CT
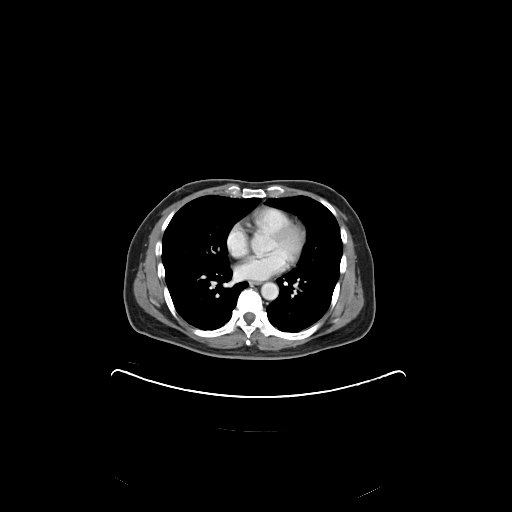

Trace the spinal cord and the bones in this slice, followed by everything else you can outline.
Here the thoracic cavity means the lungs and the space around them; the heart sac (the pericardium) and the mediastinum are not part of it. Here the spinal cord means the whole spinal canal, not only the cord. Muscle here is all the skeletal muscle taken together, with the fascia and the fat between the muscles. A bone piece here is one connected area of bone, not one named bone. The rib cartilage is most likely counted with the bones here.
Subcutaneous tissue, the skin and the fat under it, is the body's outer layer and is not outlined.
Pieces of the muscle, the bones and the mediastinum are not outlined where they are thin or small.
The spinal cord is outlined by (248, 312) (250, 312) (251, 313) (253, 313) (254, 314) (254, 318) (253, 319) (253, 320) (250, 323) (247, 323) (247, 322) (245, 320) (245, 319) (244, 318) (244, 315) (246, 313) (247, 313). The bones appear in 10 outlined pieces: piece 1: (245, 288) (259, 294) (268, 320) (281, 331) (298, 332) (319, 320) (322, 323) (309, 336) (294, 340) (265, 336) (256, 328) (250, 334) (250, 345) (246, 345) (246, 334) (238, 326) (230, 333) (214, 337) (199, 336) (192, 332) (192, 328) (213, 330) (230, 319) (238, 296) with a hole at (248, 312) (250, 312) (251, 313) (253, 313) (254, 314) (254, 318) (253, 319) (253, 320) (250, 323) (247, 323) (247, 322) (245, 320) (245, 319) (244, 318) (244, 315) (246, 313) (247, 313); piece 2: (232, 184) (236, 184) (240, 187) (246, 187) (252, 189) (265, 188) (271, 185) (279, 185) (285, 190) (285, 192) (283, 195) (278, 197) (268, 197) (267, 196) (261, 198) (259, 197) (250, 197) (249, 198) (244, 198) (243, 197) (232, 197) (229, 196) (225, 192) (225, 190); piece 3: (165, 286) (166, 286) (168, 289) (168, 291) (171, 297) (171, 299) (172, 300) (173, 305) (177, 313) (177, 318) (173, 316) (173, 315) (169, 310) (166, 304) (166, 302) (165, 301) (165, 298) (164, 297) (164, 293) (163, 292) (163, 289); piece 4: (338, 281) (339, 281) (339, 283) (340, 284) (340, 286) (339, 287) (339, 294) (338, 295) (337, 300) (333, 308) (332, 309) (330, 309) (329, 307) (330, 306) (330, 303) (331, 302) (331, 298) (332, 297) (333, 290) (335, 287) (335, 285) (336, 283); piece 5: (321, 197) (322, 198) (324, 198) (327, 201) (328, 201) (332, 205) (332, 206) (334, 208) (334, 209) (335, 210) (335, 211) (336, 212) (336, 217) (330, 211) (330, 210) (327, 207) (326, 207) (323, 204) (322, 204) (319, 201) (318, 201) (317, 200) (319, 198) (320, 198); piece 6: (343, 252) (344, 252) (345, 253) (345, 254) (346, 255) (346, 268) (345, 269) (345, 271) (343, 273) (342, 273) (341, 274) (340, 274) (340, 272) (339, 271) (339, 266) (340, 265) (340, 261) (341, 260) (341, 257) (342, 256) (342, 254) (343, 253); piece 7: (173, 210) (176, 210) (176, 211) (175, 212) (175, 213) (172, 216) (171, 219) (169, 221) (169, 222) (168, 223) (167, 226) (165, 228) (164, 231) (163, 232) (162, 232) (161, 231) (161, 227) (162, 226) (162, 224) (165, 220) (166, 217) (169, 214) (169, 213); piece 8: (159, 261) (161, 261) (162, 262) (162, 264) (163, 265) (163, 267) (164, 268) (164, 271) (165, 272) (165, 275) (164, 276) (164, 278) (160, 278) (158, 276) (158, 275) (157, 274) (157, 266) (158, 265) (158, 262); piece 9: (341, 226) (343, 226) (345, 228) (345, 229) (346, 230) (346, 234) (347, 235) (347, 241) (346, 242) (346, 243) (345, 244) (343, 244) (343, 243) (342, 242) (342, 240) (341, 239) (341, 235) (340, 234) (340, 227); piece 10: (158, 240) (161, 240) (161, 255) (160, 256) (157, 256) (156, 255) (156, 254) (155, 253) (155, 245) (156, 244) (156, 243) (157, 242) (157, 241). The torso is outlined by (209, 178) (232, 178) (247, 181) (305, 179) (323, 183) (339, 192) (357, 213) (373, 258) (376, 308) (374, 321) (369, 331) (362, 338) (351, 343) (305, 356) (249, 360) (204, 355) (134, 330) (128, 321) (123, 302) (124, 271) (130, 241) (145, 216) (168, 193) (185, 183). The thoracic cavity appears in 2 outlined pieces: piece 1: (205, 195) (260, 199) (251, 211) (232, 226) (227, 235) (226, 248) (230, 267) (237, 279) (239, 281) (246, 281) (248, 285) (239, 292) (229, 319) (221, 326) (213, 329) (196, 327) (186, 321) (177, 312) (166, 285) (166, 272) (161, 258) (163, 234) (173, 216) (188, 202); piece 2: (295, 195) (304, 195) (316, 200) (335, 217) (339, 226) (342, 253) (338, 266) (338, 279) (332, 290) (326, 311) (306, 328) (298, 331) (284, 331) (271, 323) (266, 308) (280, 293) (277, 279) (297, 265) (306, 243) (307, 233) (305, 225) (294, 213) (265, 202) (268, 198). The mediastinum appears in 2 outlined pieces: piece 1: (277, 277) (279, 277) (276, 279) (276, 282) (279, 288) (279, 293) (277, 297) (270, 303) (269, 303) (265, 308) (263, 305) (263, 300) (262, 299) (262, 297) (255, 289) (251, 287) (248, 287) (249, 283) (247, 281) (256, 281) (257, 282) (258, 281) (267, 281); piece 2: (267, 197) (267, 198) (266, 199) (265, 200) (265, 201) (264, 202) (264, 203) (263, 203) (262, 203) (261, 203) (260, 204) (259, 204) (259, 203) (260, 202) (260, 201) (261, 200) (261, 199) (262, 198) (263, 198) (264, 198) (265, 198) (266, 198). The pericardium is outlined by (261, 204) (265, 204) (268, 206) (294, 214) (304, 225) (306, 233) (305, 243) (302, 248) (299, 259) (296, 264) (291, 269) (283, 274) (267, 280) (258, 280) (257, 281) (256, 280) (240, 279) (235, 275) (231, 267) (230, 259) (228, 257) (227, 238) (233, 226) (239, 220). The muscle appears in 3 outlined pieces: piece 1: (224, 184) (231, 184) (224, 190) (227, 195) (201, 195) (177, 210) (171, 210) (161, 224) (160, 231) (163, 233) (161, 239) (154, 245) (154, 253) (161, 259) (157, 262) (156, 274) (165, 281) (162, 292) (172, 316) (177, 319) (178, 314) (193, 326) (191, 328) (193, 334) (203, 338) (230, 334) (237, 327) (240, 328) (246, 337) (245, 345) (235, 348) (211, 347) (166, 325) (147, 313) (137, 303) (133, 292) (133, 282) (145, 245) (163, 210) (194, 192); piece 2: (333, 205) (347, 217) (346, 224) (354, 243) (356, 265) (363, 290) (364, 304) (362, 308) (357, 316) (345, 325) (302, 344) (278, 350) (262, 350) (251, 345) (250, 337) (256, 329) (265, 337) (274, 336) (291, 341) (307, 338) (322, 325) (323, 321) (320, 319) (327, 310) (334, 308) (340, 294) (341, 284) (338, 280) (339, 276) (347, 268) (347, 255) (343, 251) (343, 245) (347, 243) (348, 235) (346, 228) (343, 225) (339, 225) (336, 219) (337, 212); piece 3: (280, 185) (283, 185) (287, 187) (295, 188) (296, 189) (299, 189) (300, 190) (309, 191) (310, 192) (312, 192) (315, 194) (319, 195) (320, 197) (319, 197) (317, 199) (314, 199) (312, 197) (310, 197) (304, 194) (284, 195) (284, 194) (286, 192) (286, 190) (282, 186).